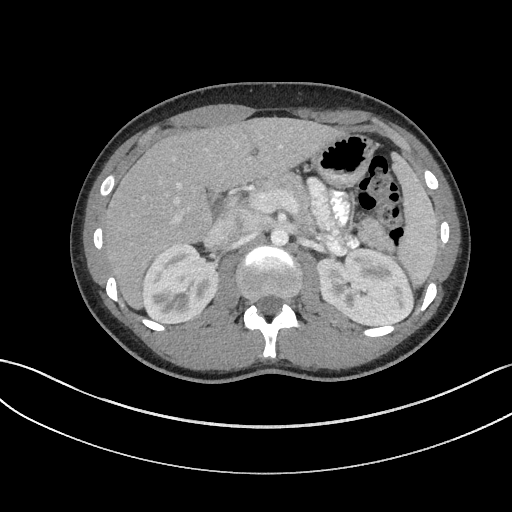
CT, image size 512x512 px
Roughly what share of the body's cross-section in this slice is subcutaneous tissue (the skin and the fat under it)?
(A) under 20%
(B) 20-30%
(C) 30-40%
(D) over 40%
Answer: (A) under 20%
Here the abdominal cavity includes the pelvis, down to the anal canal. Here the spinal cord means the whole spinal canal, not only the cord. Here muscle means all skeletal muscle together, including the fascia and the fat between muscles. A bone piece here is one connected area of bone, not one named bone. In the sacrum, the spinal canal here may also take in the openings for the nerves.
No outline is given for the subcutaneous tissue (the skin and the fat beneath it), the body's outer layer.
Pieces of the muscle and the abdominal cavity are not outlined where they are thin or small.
Outlined structures:
spinal cord: 265 316; 273 316; 279 310; 279 308; 283 303; 283 300; 281 298; 280 298; 277 296; 275 296; 274 295; 267 295; 266 296; 262 296; 260 298; 259 298; 258 299; 258 300; 256 302; 256 305; 260 310; 261 313; 263 315; 264 315
torso: 198 384; 227 383; 264 374; 313 381; 357 379; 407 358; 447 321; 468 271; 469 220; 447 163; 407 116; 370 95; 331 84; 233 82; 168 98; 132 118; 107 142; 83 181; 71 219; 69 254; 79 292; 99 325; 131 356; 159 372
bones 1: 265 358; 275 358; 275 342; 280 329; 294 326; 301 328; 289 305; 290 299; 301 287; 302 273; 299 264; 283 249; 272 246; 262 246; 250 251; 242 257; 236 271; 237 285; 250 302; 243 314; 244 327; 261 332; 265 341; 262 353, around a hole outlined by 265 316; 273 316; 279 310; 279 308; 283 303; 283 300; 281 298; 280 298; 277 296; 275 296; 274 295; 267 295; 266 296; 262 296; 260 298; 259 298; 258 299; 258 300; 256 302; 256 305; 260 310; 261 313; 263 315; 264 315
bones 2: 368 337; 379 337; 380 336; 383 336; 386 334; 388 334; 389 333; 390 333; 393 331; 393 330; 394 329; 394 326; 395 325; 384 325; 383 326; 378 326; 377 327; 368 327; 366 329; 365 329; 363 331; 363 334; 365 336; 367 336
bones 3: 419 312; 424 311; 434 299; 434 298; 436 295; 436 293; 437 292; 437 291; 436 290; 436 285; 435 284; 435 283; 434 283; 433 282; 431 282; 427 287; 427 288; 425 291; 425 294; 424 295; 423 300; 421 303; 421 305; 419 307
bones 4: 118 303; 119 302; 118 301; 118 292; 117 291; 117 288; 116 287; 116 283; 115 282; 115 279; 112 276; 111 276; 109 277; 107 280; 107 282; 106 283; 106 286; 105 287; 105 291; 106 292; 106 294; 112 300
bones 5: 431 190; 435 190; 438 188; 438 182; 437 181; 437 179; 435 177; 435 176; 429 170; 426 169; 425 170; 424 170; 424 171; 423 172; 423 178; 425 180; 425 184; 426 185; 426 186; 427 186; 428 187; 428 188; 429 188
bones 6: 102 196; 106 196; 108 194; 109 191; 111 189; 111 188; 112 187; 112 186; 115 181; 115 178; 113 175; 109 175; 108 176; 107 176; 105 178; 105 179; 102 182; 102 183; 100 186; 100 189; 99 190; 99 192; 100 193; 100 194
bones 7: 156 331; 163 331; 165 329; 165 327; 164 326; 164 325; 163 325; 162 324; 160 324; 157 322; 155 322; 153 320; 152 320; 148 317; 141 317; 141 321; 144 325; 145 325; 150 329; 151 329; 152 330; 155 330
bones 8: 443 245; 444 245; 446 243; 447 243; 447 242; 448 241; 448 239; 449 238; 449 227; 448 226; 448 224; 447 223; 447 222; 446 221; 443 221; 442 222; 441 222; 441 225; 440 226; 440 240; 441 241; 441 242; 442 243; 442 244
bones 9: 98 250; 99 250; 100 249; 101 249; 101 248; 102 247; 102 245; 103 244; 103 239; 102 238; 102 232; 101 231; 101 228; 100 227; 98 227; 95 230; 95 231; 93 234; 93 243; 94 244; 94 246; 95 247; 95 248
muscle: 208 372; 235 371; 236 370; 248 368; 251 366; 255 366; 258 364; 276 364; 277 363; 281 363; 288 366; 298 367; 307 370; 342 371; 348 368; 365 364; 387 353; 426 323; 442 308; 451 292; 451 289; 454 284; 456 277; 456 271; 459 260; 460 242; 461 241; 460 224; 456 211; 455 201; 451 189; 442 171; 428 149; 413 134; 404 128; 388 120; 384 119; 379 115; 376 115; 372 112; 360 109; 351 109; 346 107; 323 108; 317 106; 292 106; 291 107; 278 107; 277 108; 256 108; 236 103; 216 103; 215 104; 208 104; 199 107; 195 107; 165 118; 163 120; 159 121; 147 127; 145 129; 138 131; 123 142; 113 152; 105 162; 101 171; 93 183; 93 185; 88 195; 86 207; 85 208; 85 214; 84 215; 84 223; 83 224; 83 231; 82 232; 83 248; 84 249; 87 268; 92 278; 96 292; 101 301; 109 311; 119 321; 129 328; 157 355; 163 359; 180 367; 196 371; 207 371 with holes at 265 358; 275 358; 280 329; 301 328; 289 305; 301 287; 295 259; 301 251; 314 257; 322 300; 367 326; 365 336; 392 332; 415 309; 437 253; 425 187; 435 190; 438 182; 426 169; 424 185; 394 142; 259 111; 163 139; 117 184; 104 222; 113 273; 106 294; 118 303; 119 293; 147 316; 144 325; 163 331; 202 312; 216 292; 219 261; 236 252; 237 285; 250 302; 244 327; 261 332 and at 419 312; 424 311; 434 299; 434 298; 436 295; 436 293; 437 292; 437 291; 436 290; 436 285; 435 284; 435 283; 434 283; 433 282; 431 282; 427 287; 427 288; 425 291; 425 294; 424 295; 423 300; 421 303; 421 305; 419 307 and at 102 196; 106 196; 108 194; 109 191; 111 189; 111 188; 112 187; 112 186; 115 181; 115 178; 113 175; 109 175; 108 176; 107 176; 105 178; 105 179; 102 182; 102 183; 100 186; 100 189; 99 190; 99 192; 100 193; 100 194 and at 443 245; 444 245; 446 243; 447 243; 447 242; 448 241; 448 239; 449 238; 449 227; 448 226; 448 224; 447 223; 447 222; 446 221; 443 221; 442 222; 441 222; 441 225; 440 226; 440 240; 441 241; 441 242; 442 243; 442 244 and at 98 250; 99 250; 100 249; 101 249; 101 248; 102 247; 102 245; 103 244; 103 239; 102 238; 102 232; 101 231; 101 228; 100 227; 98 227; 95 230; 95 231; 93 234; 93 243; 94 244; 94 246; 95 247; 95 248
abdominal cavity: 366 326; 408 317; 437 253; 431 196; 397 145; 374 132; 346 132; 279 110; 217 128; 191 128; 146 150; 107 203; 105 247; 118 291; 130 309; 155 321; 179 324; 196 317; 216 292; 223 257; 272 245; 294 257; 308 251; 322 300